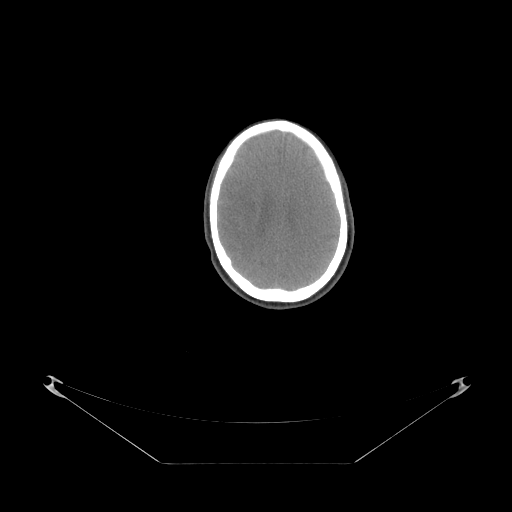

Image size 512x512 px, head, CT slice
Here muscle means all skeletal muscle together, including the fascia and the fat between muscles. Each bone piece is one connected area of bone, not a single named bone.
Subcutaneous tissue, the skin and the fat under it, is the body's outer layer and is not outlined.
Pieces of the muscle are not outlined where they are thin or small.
{"head":[[[272,117],[299,122],[317,132],[327,142],[347,180],[355,223],[352,253],[348,265],[337,283],[329,292],[315,302],[306,306],[283,310],[267,309],[254,305],[238,296],[222,281],[210,261],[202,224],[204,188],[210,168],[217,154],[246,125],[262,118]]],"muscle":[[[338,171],[341,176],[342,182],[343,183],[343,187],[344,188],[344,196],[345,197],[345,202],[346,203],[346,209],[348,214],[348,228],[348,220],[347,219],[347,213],[346,212],[346,207],[345,206],[345,201],[344,200],[344,194],[343,193],[342,184]]],"brain":[[[272,131],[290,133],[301,140],[312,150],[331,191],[338,216],[337,239],[333,253],[326,267],[311,282],[293,289],[286,289],[282,287],[260,287],[244,276],[234,267],[233,262],[221,241],[218,227],[218,201],[221,186],[238,150],[250,138]]],"bones":[{"outer":[[273,119],[286,119],[303,126],[312,132],[325,146],[333,159],[339,176],[347,220],[346,248],[335,273],[314,294],[303,300],[294,302],[265,301],[244,292],[221,266],[214,250],[209,226],[208,205],[210,189],[219,159],[226,146],[245,128],[258,122]],"hole":[[272,131],[290,133],[301,140],[312,150],[331,191],[338,216],[337,239],[333,253],[326,267],[311,282],[293,289],[286,289],[282,287],[260,287],[244,276],[234,267],[233,262],[221,241],[218,227],[218,201],[221,186],[238,150],[250,138]]}]}